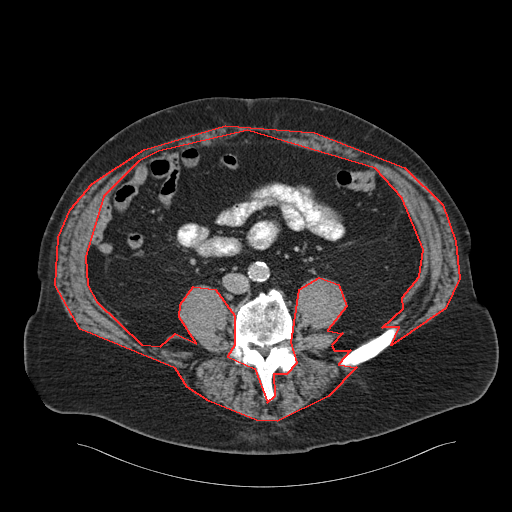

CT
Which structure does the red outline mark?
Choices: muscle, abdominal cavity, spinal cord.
red: muscle.
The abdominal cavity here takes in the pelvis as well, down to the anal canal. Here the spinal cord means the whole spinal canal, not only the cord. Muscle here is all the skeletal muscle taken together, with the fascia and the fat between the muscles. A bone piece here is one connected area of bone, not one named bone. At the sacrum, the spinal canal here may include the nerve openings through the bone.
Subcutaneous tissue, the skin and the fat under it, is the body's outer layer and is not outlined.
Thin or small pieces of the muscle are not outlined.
The muscle is outlined by [[225,125],[314,132],[404,167],[442,204],[455,241],[459,278],[445,308],[391,345],[399,327],[382,327],[403,308],[402,297],[419,276],[423,249],[402,198],[375,168],[247,130],[158,151],[138,161],[103,196],[85,256],[87,285],[96,301],[141,344],[160,346],[175,333],[196,343],[179,317],[180,304],[193,286],[215,289],[234,315],[234,345],[227,356],[254,368],[267,402],[275,395],[274,373],[287,373],[297,362],[291,342],[299,289],[319,277],[338,284],[346,306],[327,330],[342,333],[331,345],[334,350],[350,350],[338,364],[356,367],[328,396],[277,421],[256,420],[209,401],[187,387],[175,368],[80,329],[55,285],[58,237],[70,209],[92,183],[144,149]]. The torso is outlined by [[213,96],[286,96],[326,103],[384,129],[426,162],[467,224],[475,293],[497,333],[498,368],[481,398],[379,436],[273,455],[180,446],[100,417],[59,413],[45,405],[24,367],[23,334],[40,291],[41,238],[59,198],[85,160],[122,128],[171,105]]. The bones appear in 2 outlined pieces: piece 1: [[271,288],[282,292],[291,315],[293,337],[290,344],[296,362],[287,372],[278,368],[273,373],[271,382],[274,395],[271,401],[267,401],[263,397],[261,381],[255,368],[237,364],[233,357],[228,356],[228,352],[235,345],[234,321],[238,308]] with a hole at [[252,344],[257,345],[261,348],[262,348],[265,346],[268,346],[269,347],[270,347],[270,348],[269,349],[269,352],[268,353],[268,354],[266,356],[263,356],[260,353],[260,352],[257,348],[253,348],[251,346],[251,345]]; piece 2: [[395,326],[398,327],[398,331],[394,339],[390,345],[386,347],[375,357],[371,358],[367,361],[363,363],[361,363],[356,366],[343,367],[339,364],[339,362],[342,356],[345,353],[347,353],[359,345],[379,335],[386,329],[390,327],[394,327]]. The abdominal cavity is outlined by [[247,131],[391,182],[422,264],[379,334],[333,348],[343,333],[328,329],[347,300],[328,277],[300,286],[294,324],[278,288],[235,316],[215,288],[193,285],[177,314],[196,342],[175,332],[160,345],[137,341],[91,292],[86,256],[104,196],[158,152]]. The spinal cord is outlined by [[252,344],[257,345],[261,348],[262,348],[265,346],[268,346],[269,347],[270,347],[270,348],[269,349],[269,352],[268,353],[268,354],[266,356],[263,356],[260,353],[260,352],[257,348],[253,348],[251,346],[251,345]].